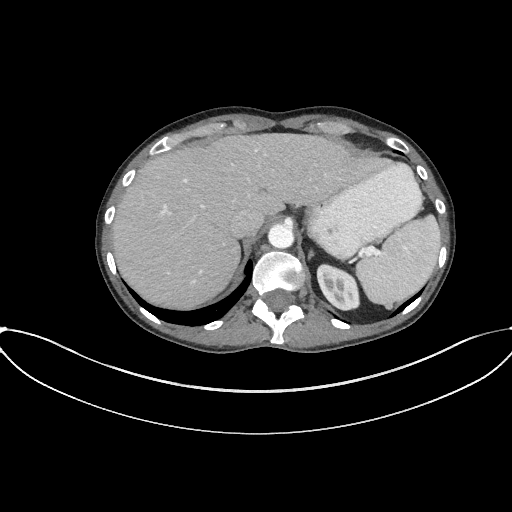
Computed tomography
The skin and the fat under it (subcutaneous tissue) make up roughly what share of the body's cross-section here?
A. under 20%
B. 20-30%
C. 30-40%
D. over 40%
Answer: A. under 20%
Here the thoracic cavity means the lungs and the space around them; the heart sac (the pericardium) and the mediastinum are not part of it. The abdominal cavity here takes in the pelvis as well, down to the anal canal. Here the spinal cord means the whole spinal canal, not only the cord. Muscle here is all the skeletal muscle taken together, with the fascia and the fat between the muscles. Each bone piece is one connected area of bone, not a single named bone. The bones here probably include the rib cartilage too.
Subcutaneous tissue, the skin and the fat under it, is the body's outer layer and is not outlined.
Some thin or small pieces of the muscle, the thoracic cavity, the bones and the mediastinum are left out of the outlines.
abdominal cavity: 349 323; 391 316; 423 289; 437 265; 438 214; 405 155; 361 146; 346 134; 282 126; 239 130; 190 138; 151 156; 126 187; 111 224; 112 253; 123 281; 148 303; 187 311; 219 301; 243 280; 266 228; 287 223; 310 291
torso: 210 353; 258 347; 302 353; 332 351; 394 334; 425 313; 453 261; 455 210; 438 169; 411 137; 391 124; 343 106; 312 105; 270 111; 226 105; 164 125; 123 160; 104 192; 95 219; 94 249; 104 282; 118 306; 137 325; 165 340
mediastinum 1: 253 265; 257 259; 264 252; 269 250; 273 250; 274 249; 284 250; 285 251; 290 252; 295 255; 296 238; 295 237; 295 234; 293 229; 287 224; 273 224; 268 227; 258 239; 256 244; 253 248; 253 250; 250 257; 250 260; 253 263
mediastinum 2: 393 151; 392 149; 389 148; 383 143; 377 140; 372 139; 369 137; 367 137; 366 136; 364 136; 360 134; 347 134; 348 136; 353 141; 361 145; 363 145; 364 146; 369 146; 370 147; 376 147; 377 148; 384 148; 385 149; 389 149
muscle 1: 293 347; 313 347; 317 345; 337 343; 372 335; 392 328; 418 311; 435 288; 443 272; 449 254; 450 232; 446 200; 424 160; 406 141; 403 140; 410 149; 406 155; 414 165; 421 164; 428 173; 428 179; 423 181; 430 197; 432 200; 436 197; 440 198; 446 206; 446 212; 443 215; 439 214; 442 230; 442 244; 447 249; 447 259; 444 265; 441 268; 436 266; 434 273; 432 274; 421 294; 421 301; 413 310; 404 315; 399 313; 387 319; 370 324; 351 324; 351 327; 347 330; 335 328; 331 325; 329 320; 333 316; 317 303; 304 282; 296 292; 295 298; 297 303; 303 309; 305 316; 287 326; 283 333; 284 343
muscle 2: 219 347; 269 341; 272 334; 271 329; 250 311; 257 296; 254 288; 251 285; 249 286; 240 300; 222 317; 224 323; 215 330; 209 331; 203 329; 201 326; 179 325; 163 320; 158 325; 146 318; 138 310; 139 305; 127 290; 119 274; 113 275; 111 273; 105 257; 106 252; 108 250; 111 251; 110 225; 104 223; 103 217; 101 230; 102 259; 110 280; 129 308; 145 322; 162 332; 187 341
muscle 3: 106 208; 111 204; 115 206; 117 205; 125 189; 125 187; 121 185; 122 176; 131 168; 135 168; 137 170; 148 159; 150 156; 147 152; 157 140; 164 135; 171 135; 175 132; 187 130; 210 122; 225 121; 228 124; 226 128; 218 132; 240 129; 232 125; 231 122; 234 119; 238 119; 246 123; 246 127; 243 130; 264 129; 275 125; 282 125; 296 129; 319 131; 315 126; 317 121; 332 120; 348 124; 352 128; 350 133; 360 133; 382 142; 386 136; 397 136; 388 131; 370 127; 349 118; 319 113; 304 114; 282 120; 273 120; 245 113; 229 113; 208 117; 188 124; 180 129; 168 132; 142 149; 127 165; 118 179; 107 201
thoracic cavity 1: 186 325; 201 325; 214 319; 221 318; 239 300; 250 284; 252 263; 250 261; 247 263; 245 268; 246 276; 244 280; 229 296; 205 308; 187 312; 166 310; 154 307; 140 298; 131 288; 127 286; 128 290; 138 303; 159 318; 170 322
thoracic cavity 2: 393 315; 394 315; 395 314; 400 312; 400 311; 407 304; 408 304; 412 300; 413 300; 418 295; 419 295; 421 293; 422 290; 421 291; 418 292; 416 294; 415 294; 411 298; 410 298; 407 301; 406 301; 403 304; 402 304; 394 312
bones 1: 277 344; 283 343; 282 333; 285 327; 291 322; 304 316; 302 309; 296 303; 294 298; 295 292; 304 281; 304 273; 298 258; 290 253; 274 250; 264 253; 253 266; 251 284; 257 291; 258 296; 251 311; 272 329; 273 334; 270 342; inner edge: 275 312; 281 312; 284 310; 286 310; 287 309; 287 307; 292 302; 292 300; 291 299; 291 294; 289 292; 283 289; 281 289; 280 288; 278 288; 272 291; 270 291; 269 292; 267 292; 265 293; 263 297; 269 309
bones 2: 150 155; 153 155; 162 151; 165 151; 168 149; 170 149; 174 145; 190 137; 206 135; 220 131; 226 127; 227 124; 225 122; 210 123; 206 125; 196 127; 187 131; 178 132; 173 134; 171 136; 164 136; 157 141; 150 148; 148 152
bones 3: 330 133; 349 133; 351 131; 351 128; 348 125; 344 123; 341 123; 340 122; 333 122; 332 121; 323 121; 321 122; 320 121; 316 123; 316 126; 318 128; 318 129; 320 131; 323 131; 324 132; 329 132
bones 4: 405 154; 406 153; 407 153; 409 151; 409 149; 408 148; 407 145; 401 139; 400 139; 398 137; 386 137; 385 138; 385 140; 384 141; 384 142; 386 145; 387 145; 389 147; 390 147; 393 149; 395 149; 396 150; 398 150
bones 5: 344 329; 347 329; 348 328; 349 328; 350 327; 350 324; 349 324; 347 322; 345 322; 342 320; 340 320; 339 319; 338 319; 335 317; 332 317; 331 318; 330 321; 331 322; 332 325; 333 325; 335 327; 338 327; 339 328; 343 328
bones 6: 123 186; 126 186; 127 185; 128 185; 130 183; 130 182; 132 180; 132 179; 133 178; 133 177; 135 175; 135 173; 136 172; 136 170; 135 169; 131 169; 130 170; 129 170; 123 176; 123 177; 122 178; 122 185
bones 7: 158 324; 160 324; 161 323; 161 320; 160 319; 159 319; 157 317; 156 317; 153 314; 152 314; 150 312; 149 312; 143 307; 142 307; 141 306; 139 306; 139 310; 146 317; 147 317; 149 319; 152 320; 154 322; 155 322
bones 8: 401 314; 404 314; 405 313; 406 313; 407 312; 410 311; 412 309; 413 309; 418 304; 418 303; 420 301; 420 300; 421 299; 421 295; 418 296; 413 301; 412 301; 408 305; 407 305; 401 311; 401 312; 400 313
spinal cord: 275 312; 281 312; 284 310; 286 310; 287 309; 287 307; 292 302; 292 300; 291 299; 291 294; 289 292; 283 289; 281 289; 280 288; 278 288; 272 291; 270 291; 269 292; 267 292; 265 293; 263 297; 269 309